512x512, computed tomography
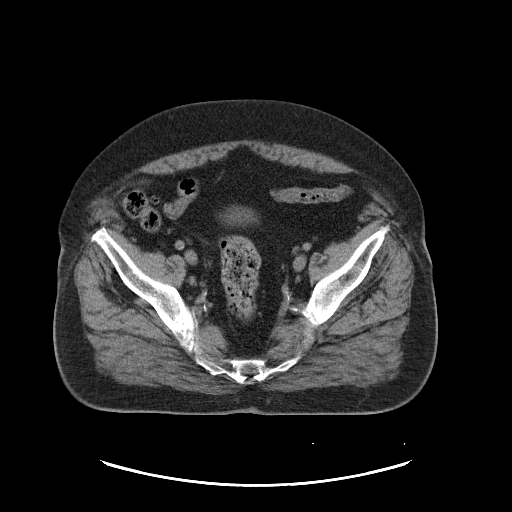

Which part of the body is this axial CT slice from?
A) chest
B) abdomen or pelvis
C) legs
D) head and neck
B) abdomen or pelvis
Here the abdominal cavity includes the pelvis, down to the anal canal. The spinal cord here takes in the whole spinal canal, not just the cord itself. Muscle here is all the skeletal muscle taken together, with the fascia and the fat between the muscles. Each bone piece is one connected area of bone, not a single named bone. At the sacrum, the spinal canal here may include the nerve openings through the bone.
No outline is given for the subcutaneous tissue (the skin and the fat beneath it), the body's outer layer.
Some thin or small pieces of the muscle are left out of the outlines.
{"spinal_cord":[[[242,372],[245,372],[246,373],[251,373],[252,372],[257,372],[255,374],[254,374],[253,375],[252,375],[250,377],[249,377],[247,375],[244,375],[243,374],[242,374]]],"muscle":[[[236,139],[283,143],[328,155],[364,172],[394,200],[413,248],[414,282],[402,362],[393,382],[286,392],[250,384],[298,362],[300,353],[275,364],[262,358],[275,327],[293,316],[302,316],[312,326],[326,322],[365,278],[391,226],[382,224],[364,238],[311,290],[310,257],[326,244],[349,239],[371,200],[364,179],[353,172],[319,172],[268,159],[245,144],[207,165],[146,174],[114,191],[112,205],[121,233],[130,242],[143,251],[183,258],[185,274],[178,288],[143,271],[105,226],[89,240],[104,252],[123,284],[154,309],[178,344],[194,354],[196,364],[212,376],[225,374],[246,385],[236,393],[214,395],[128,385],[96,370],[73,280],[88,205],[108,183],[149,161]],[[199,324],[207,324],[208,325],[215,326],[221,330],[223,336],[227,342],[226,345],[226,351],[225,352],[225,354],[227,357],[224,358],[215,358],[206,355],[204,353],[204,350],[202,348],[201,344],[198,340],[198,337],[196,333],[196,329],[198,327]]],"torso":[[[235,98],[293,101],[341,117],[385,147],[415,184],[425,211],[425,243],[433,267],[438,345],[426,384],[403,406],[370,414],[124,413],[89,408],[76,401],[63,385],[53,349],[56,271],[60,252],[57,225],[74,181],[98,152],[142,119],[184,103]]],"bones":[{"outer":[[101,227],[143,272],[177,289],[195,315],[195,333],[206,356],[261,358],[270,365],[296,354],[300,358],[287,370],[275,371],[249,384],[238,383],[225,373],[212,375],[195,362],[193,352],[188,353],[179,344],[155,309],[124,284],[105,252],[90,240]],"hole":[[242,372],[245,372],[246,373],[251,373],[252,372],[257,372],[255,374],[254,374],[253,375],[252,375],[250,377],[249,377],[247,375],[244,375],[243,374],[242,374]]},[[385,224],[388,224],[390,226],[390,229],[385,234],[380,247],[373,256],[370,267],[364,278],[356,287],[346,295],[334,313],[326,321],[319,325],[310,324],[298,310],[302,309],[306,305],[315,284],[321,278],[340,267],[349,258],[357,246],[364,239]]],"abdominal_cavity":[[[240,145],[290,166],[353,173],[363,179],[370,199],[349,238],[326,243],[311,254],[311,292],[297,310],[302,315],[274,327],[261,357],[227,356],[222,330],[199,323],[178,290],[186,274],[184,258],[143,250],[130,241],[112,200],[129,181],[204,167]]]}